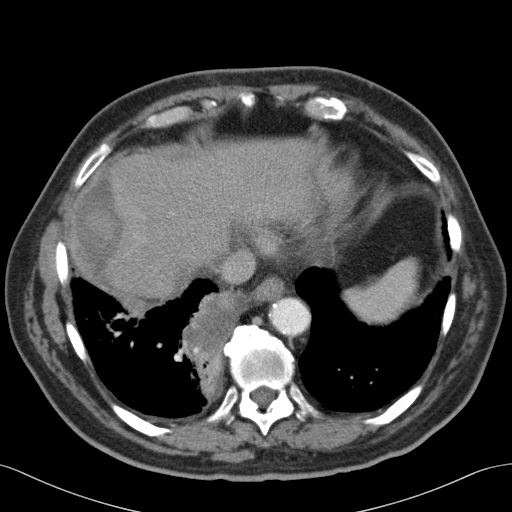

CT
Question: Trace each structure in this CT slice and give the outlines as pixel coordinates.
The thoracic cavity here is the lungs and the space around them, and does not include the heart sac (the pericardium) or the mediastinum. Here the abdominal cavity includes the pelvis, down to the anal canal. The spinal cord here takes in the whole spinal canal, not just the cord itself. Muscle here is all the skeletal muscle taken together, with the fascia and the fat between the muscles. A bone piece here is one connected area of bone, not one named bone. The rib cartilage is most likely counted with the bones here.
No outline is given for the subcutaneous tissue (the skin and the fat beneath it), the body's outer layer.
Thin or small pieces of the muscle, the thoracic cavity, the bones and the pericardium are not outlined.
Answer: {"spinal_cord":[[[262,386],[265,386],[266,387],[267,387],[268,388],[275,391],[275,393],[276,394],[275,395],[275,397],[269,403],[269,404],[265,408],[261,408],[259,406],[259,405],[255,401],[254,401],[252,399],[252,398],[251,397],[251,393],[259,387],[261,387]]],"torso":[[[274,65],[323,65],[353,72],[407,99],[439,130],[505,266],[507,297],[493,349],[473,395],[451,420],[409,452],[366,468],[307,479],[242,482],[191,479],[133,466],[78,436],[51,406],[21,359],[4,303],[11,245],[70,142],[104,105],[177,73]]],"abdominal_cavity":[[[261,94],[325,120],[323,127],[331,140],[284,150],[258,166],[245,189],[245,234],[227,251],[210,279],[194,279],[173,295],[153,299],[90,276],[69,261],[76,196],[107,156],[130,147],[175,143],[196,126],[194,118],[216,114],[237,101],[251,109]],[[403,184],[431,185],[437,193],[443,209],[440,217],[441,233],[448,261],[447,274],[439,280],[421,305],[406,312],[397,321],[383,327],[368,326],[358,321],[348,311],[339,296],[336,273],[330,269],[360,247],[362,237],[367,231],[367,226],[397,187]]],"mediastinum":[[[328,120],[355,124],[432,184],[397,186],[357,249],[331,268],[310,266],[297,277],[295,291],[307,302],[311,322],[296,359],[268,330],[236,325],[211,277],[241,235],[264,260],[289,257],[336,238],[374,205],[385,181],[381,164],[348,141],[332,139]],[[191,119],[195,119],[195,126],[184,137],[175,142],[165,145],[130,146],[122,149],[118,153],[114,153],[114,149],[119,146],[121,143],[142,131],[150,129],[157,129],[158,128],[167,128],[170,125],[175,125],[181,122],[184,122],[186,120],[190,120]]],"pericardium":[[[332,140],[346,141],[368,154],[380,164],[384,173],[384,181],[382,182],[381,189],[375,202],[363,216],[336,237],[289,256],[277,256],[264,259],[252,247],[248,236],[244,233],[246,189],[250,181],[260,165],[284,151],[294,149],[307,143],[328,142]]],"muscle":[{"outer":[[305,83],[315,84],[321,88],[345,95],[350,95],[360,99],[379,111],[388,120],[400,126],[409,134],[419,140],[431,153],[433,157],[440,163],[441,167],[447,174],[459,197],[461,207],[465,216],[466,230],[471,240],[475,258],[480,267],[484,280],[487,285],[488,310],[485,317],[485,323],[479,334],[480,335],[477,345],[459,372],[449,382],[440,395],[428,408],[387,438],[357,449],[342,451],[313,451],[307,449],[294,450],[288,448],[267,448],[266,449],[263,448],[258,449],[255,452],[254,458],[247,459],[237,463],[201,462],[179,456],[172,456],[171,454],[160,453],[148,449],[120,435],[105,426],[98,420],[48,368],[41,356],[36,351],[33,343],[29,338],[24,321],[23,294],[31,271],[37,241],[42,233],[49,214],[52,211],[54,202],[65,189],[72,174],[88,152],[107,133],[115,129],[119,125],[134,116],[144,107],[154,101],[171,94],[175,94],[188,89],[195,89],[199,87],[209,87],[218,85],[245,85],[263,87],[272,84],[273,85],[274,84],[304,84]],"holes":[[[241,91],[280,95],[283,105],[303,112],[309,98],[339,98],[347,108],[344,120],[403,156],[407,150],[425,157],[439,172],[439,183],[431,185],[444,213],[453,214],[461,228],[459,250],[447,263],[455,311],[414,384],[423,384],[421,392],[386,424],[364,423],[376,414],[320,409],[322,416],[308,414],[304,421],[294,413],[280,418],[263,435],[238,413],[236,403],[228,425],[204,418],[167,422],[162,425],[170,432],[149,436],[113,411],[110,403],[121,404],[71,344],[65,322],[76,325],[72,295],[58,277],[55,248],[61,240],[68,250],[80,191],[74,182],[87,158],[101,143],[113,151],[149,130],[142,124],[152,114],[187,105],[190,120],[210,116],[239,101]],[[205,98],[206,99],[209,99],[210,100],[214,100],[215,101],[216,101],[216,102],[217,103],[217,105],[213,109],[212,109],[211,110],[208,110],[207,109],[204,109],[200,105],[200,100],[201,100],[202,99],[204,99]]]}],"thoracic_cavity":[[[69,262],[90,277],[153,300],[173,296],[186,289],[197,279],[208,279],[214,283],[235,314],[235,326],[222,349],[223,354],[228,358],[229,385],[221,401],[209,415],[192,422],[167,422],[159,425],[121,405],[98,376],[76,326],[69,285],[71,279]],[[310,267],[332,270],[339,299],[347,311],[358,322],[379,328],[397,322],[421,306],[440,280],[446,275],[450,277],[439,335],[427,366],[410,388],[378,414],[329,413],[310,402],[294,379],[296,360],[309,342],[312,322],[311,308],[296,291],[295,283]]],"bones":[{"outer":[[244,324],[264,329],[283,342],[295,358],[293,379],[322,416],[308,414],[301,421],[293,413],[276,420],[266,435],[254,421],[238,413],[236,403],[231,409],[235,417],[228,425],[223,419],[204,420],[220,404],[233,381],[229,358],[223,349],[235,327]],"hole":[[262,386],[265,386],[266,387],[267,387],[268,388],[275,391],[275,393],[276,394],[275,395],[275,397],[269,403],[269,404],[265,408],[261,408],[259,406],[259,405],[255,401],[254,401],[252,399],[252,398],[251,397],[251,393],[259,387],[261,387]]},[[316,96],[322,96],[326,98],[329,98],[333,96],[342,100],[347,108],[347,111],[343,119],[340,120],[332,120],[331,119],[326,120],[325,119],[319,119],[316,117],[311,117],[310,115],[306,113],[304,110],[304,103],[305,101],[309,98],[315,97]],[[420,383],[422,383],[423,384],[423,388],[419,395],[403,412],[402,412],[393,420],[386,424],[383,424],[382,425],[374,425],[373,424],[368,424],[363,422],[363,420],[376,416],[383,412],[391,404],[403,395],[409,389],[413,386]],[[110,403],[116,403],[122,406],[124,408],[127,409],[129,411],[132,412],[142,419],[149,421],[155,425],[167,427],[171,429],[171,431],[170,432],[165,433],[160,436],[149,436],[148,435],[146,435],[131,427],[123,420],[122,420],[113,411],[110,406]],[[182,105],[187,105],[191,107],[192,113],[189,116],[189,119],[186,119],[184,121],[181,121],[175,124],[170,124],[168,125],[167,127],[158,127],[157,128],[144,128],[142,127],[142,124],[150,115],[162,112],[167,109],[173,108],[176,106],[181,106]],[[104,142],[110,145],[112,148],[111,152],[104,158],[104,159],[93,171],[89,177],[87,178],[83,184],[79,188],[76,188],[74,186],[74,182],[81,167],[87,158],[92,153],[92,152],[101,143],[103,143]],[[406,150],[417,153],[425,157],[431,162],[432,162],[439,172],[439,174],[440,175],[440,181],[439,183],[435,184],[433,183],[433,181],[432,180],[428,179],[412,163],[412,162],[410,161],[409,159],[408,159],[408,158],[404,154],[404,151]],[[59,240],[61,240],[64,243],[66,247],[66,250],[67,251],[67,257],[68,258],[68,267],[69,268],[69,274],[70,275],[69,284],[64,286],[61,284],[60,280],[58,277],[58,274],[56,270],[56,264],[55,263],[55,248],[56,247],[56,244]],[[67,320],[71,322],[76,327],[81,337],[81,339],[86,349],[86,351],[90,358],[90,360],[91,361],[90,363],[88,362],[86,363],[84,363],[79,358],[79,357],[75,352],[71,344],[71,342],[68,337],[68,335],[66,331],[65,322]],[[448,213],[451,213],[453,214],[457,218],[459,222],[460,227],[461,228],[461,243],[460,244],[459,250],[457,252],[454,252],[452,251],[450,247],[450,245],[449,244],[449,236],[448,235],[448,231],[447,230],[447,218],[446,217],[446,215]],[[453,291],[455,292],[455,294],[456,295],[456,305],[455,306],[455,311],[454,312],[452,322],[447,333],[444,336],[442,336],[440,335],[440,329],[441,328],[442,316],[443,315],[445,305],[447,302],[448,296],[450,292],[452,292]],[[241,91],[242,91],[243,92],[252,92],[253,93],[254,93],[255,94],[255,101],[256,102],[255,103],[255,104],[251,108],[248,108],[247,107],[246,107],[242,103],[242,101],[241,100],[240,100],[240,99],[238,97],[238,93],[239,92],[240,92]]]}